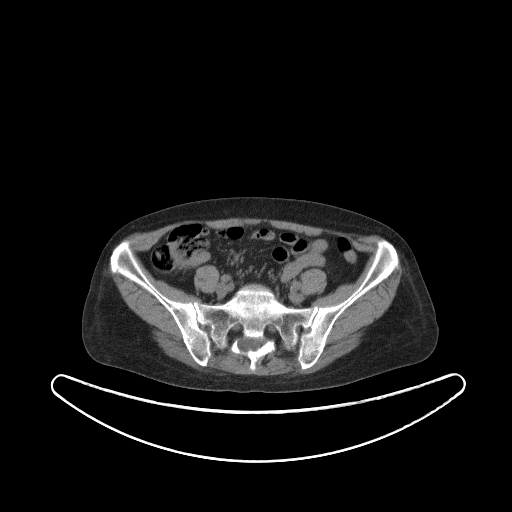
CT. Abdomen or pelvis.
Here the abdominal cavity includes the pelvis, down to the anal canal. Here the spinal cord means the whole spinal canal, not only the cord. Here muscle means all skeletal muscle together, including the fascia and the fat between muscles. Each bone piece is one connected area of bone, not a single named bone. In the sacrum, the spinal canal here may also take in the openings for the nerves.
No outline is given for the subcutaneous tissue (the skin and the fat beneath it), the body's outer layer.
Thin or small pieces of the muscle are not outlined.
Outlined structures:
muscle 1: 396,248 401,254 403,273 395,296 388,309 366,328 359,345 321,369 291,377 228,372 220,375 197,370 165,354 153,339 151,327 126,305 105,270 109,258 113,274 139,285 169,312 188,353 198,365 208,365 213,343 221,350 228,347 234,354 246,357 253,372 261,358 276,350 279,340 287,350 298,344 296,360 305,370 318,361 340,315 399,267
muscle 2: 232,217 284,220 345,233 354,233 360,235 376,234 383,237 378,238 375,242 376,246 372,260 363,279 346,298 336,304 310,306 319,296 324,296 332,292 342,284 354,282 364,268 368,256 364,252 358,250 347,237 325,232 317,235 308,235 303,232 291,229 278,228 267,222 255,224 232,224 220,228 212,227 201,222 178,224 164,233 147,250 142,252 140,254 140,258 145,267 155,279 161,280 171,286 183,290 188,294 200,298 202,302 196,300 179,301 166,296 150,281 143,271 131,247 130,240 128,238 123,238 134,232 151,231 184,220 215,220
muscle 3: 313,268 322,270 325,273 325,275 326,276 326,281 327,282 323,291 321,293 319,294 315,293 314,294 310,294 309,295 304,295 304,294 302,293 299,288 298,282 300,280 300,276 303,272 306,270 312,269
muscle 4: 205,265 212,265 214,266 218,270 219,272 219,279 218,280 218,284 217,285 217,287 215,289 215,290 211,293 206,293 202,291 197,291 194,285 194,276 195,275 196,270 198,268 202,266 204,266
torso: 230,196 287,197 319,201 367,215 393,228 411,248 435,308 439,336 432,354 421,362 349,384 287,393 240,393 183,388 93,360 86,352 81,338 82,309 94,267 104,245 112,234 129,221 162,208 200,199
bones: 380,238 394,246 398,267 339,315 305,369 299,344 287,349 279,339 253,371 246,356 213,342 207,365 198,364 170,312 110,268 112,250 128,239 146,277 171,300 223,304 255,283 287,307 324,307 360,285; inner edges: 248,339 258,339 259,340 261,340 263,342 262,343 262,344 259,347 258,347 257,348 256,348 255,349 251,349 250,348 247,348 246,349 244,347 244,345 245,344 245,342 246,341 246,340 247,340, then 237,324 239,324 240,325 241,325 241,326 242,327 242,329 241,330 242,333 241,334 241,335 236,338 231,338 230,337 229,337 229,336 228,335 228,333 229,332 229,331 232,327 233,327, then 268,324 271,324 272,325 273,325 275,328 276,328 276,329 278,332 278,334 277,335 277,336 276,336 275,337 269,337 266,335 266,334 265,333 265,327 266,326 266,325 267,325
abdominal cavity: 188,223 220,229 232,225 267,223 308,236 337,235 347,238 367,258 354,281 342,283 332,291 319,295 306,307 287,306 268,286 255,282 242,285 223,303 206,303 197,295 155,278 141,258 142,253 172,228, around a hole outlined by 313,268 322,270 325,273 325,275 326,276 326,281 327,282 323,291 321,293 319,294 315,293 314,294 310,294 309,295 304,295 304,294 302,293 299,288 298,282 300,280 300,276 303,272 306,270 312,269
spinal cord 1: 248,339 258,339 259,340 261,340 263,342 262,343 262,344 259,347 258,347 257,348 256,348 255,349 251,349 250,348 247,348 246,349 244,347 244,345 245,344 245,342 246,341 246,340 247,340
spinal cord 2: 237,324 239,324 240,325 241,325 241,326 242,327 242,329 241,330 242,333 241,334 241,335 236,338 231,338 230,337 229,337 229,336 228,335 228,333 229,332 229,331 232,327 233,327
spinal cord 3: 268,324 271,324 272,325 273,325 275,328 276,328 276,329 278,332 278,334 277,335 277,336 276,336 275,337 269,337 266,335 266,334 265,333 265,327 266,326 266,325 267,325